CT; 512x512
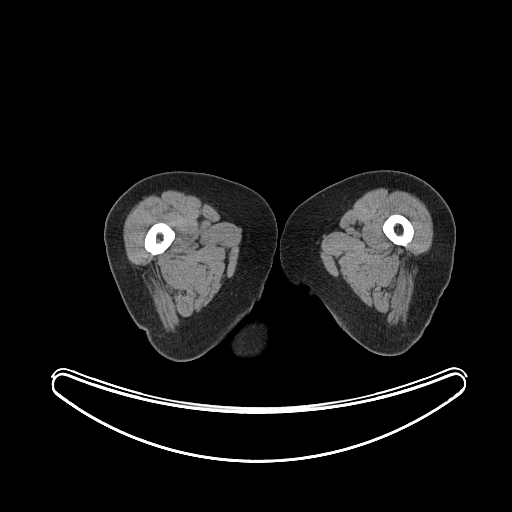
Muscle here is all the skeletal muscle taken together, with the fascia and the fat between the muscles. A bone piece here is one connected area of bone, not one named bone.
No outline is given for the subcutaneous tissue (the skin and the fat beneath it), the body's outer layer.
The bones appear in 2 outlined pieces: piece 1: [[395,213],[400,214],[406,217],[410,221],[410,222],[413,226],[413,229],[414,230],[414,234],[413,235],[413,237],[411,241],[409,242],[406,246],[397,245],[393,243],[386,236],[386,235],[383,231],[383,229],[382,228],[383,223],[391,214],[394,214]]; piece 2: [[157,222],[164,222],[166,223],[174,231],[175,233],[175,236],[174,237],[174,239],[172,241],[170,245],[162,253],[160,254],[157,254],[156,255],[152,255],[145,249],[144,247],[144,239],[145,238],[146,233],[149,229],[149,228],[153,224]]. The left leg is outlined by [[379,169],[407,172],[430,184],[449,206],[456,227],[450,282],[421,338],[405,353],[396,356],[379,355],[354,340],[337,324],[317,297],[309,297],[306,286],[296,286],[290,282],[281,267],[279,257],[278,237],[281,236],[288,216],[302,201],[346,177]]. The right leg is outlined by [[173,170],[209,173],[245,185],[266,200],[275,216],[277,246],[271,269],[260,299],[243,321],[259,316],[269,325],[269,347],[258,357],[241,359],[230,354],[230,334],[192,360],[166,359],[150,345],[126,310],[106,256],[106,216],[117,198],[136,181]]. The muscle appears in 2 outlined pieces: piece 1: [[169,189],[195,195],[216,205],[239,221],[243,225],[243,229],[239,244],[237,263],[233,275],[197,316],[181,325],[169,337],[167,337],[164,334],[156,311],[152,306],[145,284],[137,275],[134,267],[126,256],[123,241],[123,225],[132,207],[143,197]] with a hole at [[157,222],[164,222],[166,223],[174,231],[175,233],[175,236],[174,237],[174,239],[172,241],[170,245],[162,253],[160,254],[157,254],[156,255],[152,255],[145,249],[144,247],[144,239],[145,238],[146,233],[149,229],[149,228],[153,224]]; piece 2: [[379,187],[403,190],[415,195],[425,204],[433,222],[431,247],[415,264],[417,272],[414,277],[412,300],[407,323],[403,328],[388,325],[380,313],[363,303],[341,278],[332,276],[325,269],[323,263],[311,252],[313,232],[322,231],[340,217],[366,191]], around a hole outlined by [[395,213],[400,214],[406,217],[410,221],[410,222],[413,226],[413,229],[414,230],[414,234],[413,235],[413,237],[411,241],[409,242],[406,246],[397,245],[393,243],[386,236],[386,235],[383,231],[383,229],[382,228],[383,223],[391,214],[394,214]].